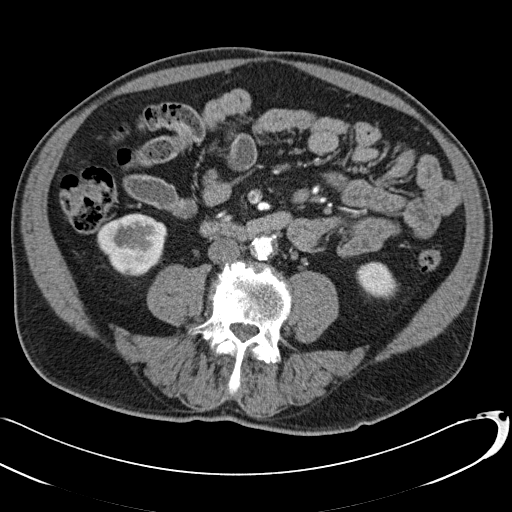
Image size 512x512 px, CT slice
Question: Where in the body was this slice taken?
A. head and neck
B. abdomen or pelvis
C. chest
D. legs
Answer: B. abdomen or pelvis
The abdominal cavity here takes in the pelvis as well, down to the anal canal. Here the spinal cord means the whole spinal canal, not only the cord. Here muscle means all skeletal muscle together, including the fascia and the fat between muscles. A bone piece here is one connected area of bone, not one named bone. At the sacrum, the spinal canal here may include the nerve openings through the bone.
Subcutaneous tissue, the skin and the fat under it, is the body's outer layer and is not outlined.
Outlines:
torso: [[218,46],[316,53],[377,73],[429,109],[462,143],[482,175],[493,235],[469,353],[449,383],[393,416],[353,431],[318,436],[272,432],[228,420],[148,419],[53,386],[35,371],[21,348],[13,311],[10,220],[30,152],[60,117],[114,78],[162,57]]
abdominal cavity: [[267,61],[430,132],[464,208],[453,268],[368,357],[367,344],[300,347],[338,317],[336,286],[313,270],[286,280],[257,260],[226,262],[207,297],[210,264],[164,266],[145,301],[177,330],[110,322],[110,339],[86,312],[48,217],[68,142],[116,96]]
spinal cord: [[232,324],[243,324],[244,325],[251,325],[252,326],[254,326],[256,327],[257,329],[257,332],[254,335],[251,336],[249,338],[243,341],[241,340],[237,336],[236,336],[235,334],[232,331],[231,329],[231,325]]
muscle: [[265,56],[277,57],[287,60],[301,61],[306,63],[316,64],[324,67],[335,69],[361,78],[398,96],[402,100],[413,107],[428,122],[439,129],[457,147],[464,156],[473,172],[479,188],[484,214],[484,240],[483,241],[481,260],[475,282],[466,305],[462,311],[447,326],[442,333],[425,344],[412,348],[403,353],[399,353],[394,355],[391,358],[388,358],[384,361],[372,364],[369,367],[358,371],[354,375],[342,382],[337,388],[313,403],[308,408],[285,417],[269,417],[263,419],[252,417],[248,415],[244,412],[234,400],[227,400],[213,409],[199,411],[198,413],[186,412],[175,409],[167,405],[165,402],[153,396],[145,389],[139,380],[135,377],[130,369],[128,363],[119,354],[110,350],[94,339],[91,339],[86,335],[75,331],[58,317],[50,307],[34,280],[28,264],[23,244],[22,235],[20,230],[21,206],[23,194],[27,179],[33,166],[37,161],[39,153],[46,142],[56,130],[68,119],[77,114],[92,102],[104,96],[117,87],[140,76],[166,68],[230,58],[253,58]]; inner edge: [[267,61],[421,123],[465,231],[450,272],[368,357],[298,345],[340,305],[325,274],[292,274],[281,360],[248,350],[231,395],[234,357],[189,331],[207,319],[212,266],[170,263],[147,288],[175,332],[110,322],[112,340],[79,297],[48,193],[108,100]]
bones: [[237,260],[273,267],[289,284],[292,300],[289,315],[280,328],[285,340],[278,342],[281,360],[266,363],[253,358],[248,350],[240,367],[239,390],[231,395],[227,384],[234,357],[216,354],[201,334],[193,334],[189,329],[207,319],[212,279],[226,263]], around a hole outlined by [[232,324],[243,324],[244,325],[251,325],[252,326],[254,326],[256,327],[257,329],[257,332],[254,335],[251,336],[249,338],[243,341],[241,340],[237,336],[236,336],[235,334],[232,331],[231,329],[231,325]]